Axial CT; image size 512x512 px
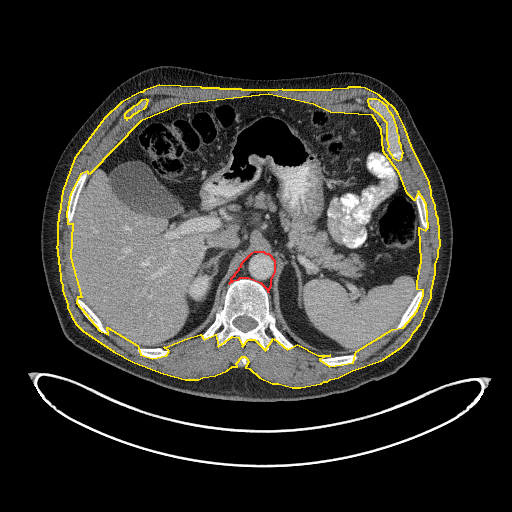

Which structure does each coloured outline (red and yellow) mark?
red: mediastinum; yellow: muscle.
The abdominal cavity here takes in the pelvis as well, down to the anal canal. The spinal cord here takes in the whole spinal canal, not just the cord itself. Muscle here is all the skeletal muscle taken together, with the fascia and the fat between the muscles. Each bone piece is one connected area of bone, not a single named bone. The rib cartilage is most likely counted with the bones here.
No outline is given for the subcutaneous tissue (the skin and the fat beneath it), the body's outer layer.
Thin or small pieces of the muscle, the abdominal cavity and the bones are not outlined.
The mediastinum is outlined by (268, 292) (268, 290) (271, 285) (271, 280) (275, 271) (275, 261) (269, 254) (266, 254) (264, 252) (254, 252) (250, 254) (242, 262) (240, 265) (240, 267) (238, 268) (238, 270) (230, 279) (229, 283) (233, 280) (238, 279) (240, 277) (248, 277) (260, 282) (266, 288). The muscle is outlined by (292, 387) (300, 387) (321, 383) (324, 381) (327, 381) (330, 379) (338, 377) (352, 370) (381, 360) (401, 347) (410, 338) (414, 331) (420, 324) (424, 316) (424, 313) (431, 297) (431, 291) (435, 273) (435, 264) (438, 256) (438, 250) (440, 245) (438, 218) (436, 215) (435, 205) (431, 195) (431, 190) (428, 179) (412, 148) (404, 126) (398, 114) (394, 108) (379, 95) (365, 88) (360, 87) (348, 87) (347, 88) (331, 89) (330, 90) (283, 90) (282, 89) (277, 90) (242, 90) (241, 89) (220, 89) (219, 88) (202, 88) (201, 87) (159, 85) (144, 90) (142, 92) (140, 92) (121, 102) (104, 118) (74, 158) (62, 191) (59, 213) (58, 214) (58, 221) (57, 222) (57, 244) (56, 247) (57, 248) (57, 255) (58, 256) (58, 263) (59, 264) (60, 280) (62, 285) (62, 290) (67, 304) (67, 307) (71, 316) (76, 324) (82, 330) (113, 351) (134, 362) (163, 373) (185, 379) (198, 379) (202, 377) (215, 375) (227, 370) (232, 366) (237, 366) (236, 363) (242, 356) (244, 356) (247, 359) (248, 362) (245, 367) (249, 368) (259, 377) (272, 383) (278, 383); inner edges: (329, 366) (353, 362) (356, 351) (392, 329) (403, 327) (417, 310) (423, 295) (423, 290) (417, 289) (417, 282) (421, 261) (419, 227) (425, 230) (428, 227) (426, 204) (418, 191) (414, 200) (407, 193) (399, 173) (383, 151) (381, 129) (372, 115) (330, 112) (313, 104) (268, 94) (181, 104) (140, 121) (89, 174) (87, 171) (80, 174) (70, 193) (66, 213) (67, 223) (72, 223) (70, 257) (81, 297) (77, 297) (76, 302) (99, 330) (108, 334) (107, 327) (137, 345) (140, 354) (152, 358) (166, 355) (169, 351) (164, 347) (187, 338) (200, 334) (204, 339) (215, 334) (218, 346) (232, 336) (238, 337) (242, 346) (248, 339) (254, 339) (265, 350) (273, 338) (287, 349) (297, 344) (318, 355) (330, 355) (319, 359), then (398, 160) (401, 159) (403, 152) (401, 148) (401, 145) (399, 142) (399, 136) (397, 132) (397, 128) (393, 116) (389, 111) (387, 106) (379, 100) (376, 99) (368, 99) (367, 100) (368, 105) (379, 114) (386, 122) (386, 139) (388, 146) (387, 149) (391, 154) (392, 157), then (126, 119) (127, 119) (127, 118) (128, 117) (130, 117) (134, 113) (135, 113) (136, 112) (137, 112) (139, 110) (144, 108) (146, 106) (148, 100) (147, 100) (146, 99) (141, 100) (136, 105) (133, 106) (129, 110) (128, 110) (124, 114) (124, 117) (125, 117) (126, 118). The abdominal cavity is outlined by (331, 356) (355, 353) (381, 339) (417, 290) (416, 206) (383, 151) (373, 116) (252, 94) (173, 106) (136, 124) (89, 174) (72, 221) (74, 279) (103, 324) (145, 347) (166, 347) (198, 335) (213, 321) (241, 262) (264, 251) (276, 261) (269, 297) (277, 328) (293, 343). The bones appear in 9 outlined pieces: piece 1: (265, 350) (269, 348) (273, 338) (284, 348) (292, 349) (294, 345) (276, 328) (265, 288) (254, 280) (240, 278) (229, 284) (222, 307) (216, 312) (214, 321) (201, 334) (201, 338) (215, 334) (218, 346) (225, 344) (232, 336) (238, 337) (242, 346) (248, 339) (254, 339), around a hole outlined by (242, 331) (247, 331) (248, 330) (249, 330) (250, 329) (255, 327) (257, 324) (256, 321) (255, 321) (252, 318) (251, 318) (250, 317) (248, 317) (247, 316) (240, 316) (239, 317) (237, 317) (233, 321) (233, 323) (234, 324) (234, 325) (236, 327) (237, 327); piece 2: (398, 160) (401, 159) (403, 152) (401, 148) (401, 145) (399, 142) (399, 136) (397, 132) (397, 128) (393, 116) (389, 111) (387, 106) (379, 100) (376, 99) (368, 99) (367, 100) (368, 105) (378, 114) (379, 114) (386, 122) (386, 139) (387, 140) (388, 149) (392, 157); piece 3: (68, 224) (71, 222) (73, 218) (73, 214) (75, 210) (75, 206) (77, 203) (77, 200) (78, 199) (80, 191) (88, 175) (88, 172) (87, 171) (83, 171) (80, 174) (76, 180) (70, 193) (69, 199) (68, 200) (68, 205) (67, 206) (67, 212) (66, 213) (66, 221); piece 4: (393, 331) (396, 331) (400, 328) (403, 327) (409, 321) (409, 320) (415, 313) (421, 302) (421, 300) (422, 299) (422, 296) (423, 295) (423, 290) (420, 289) (417, 291) (414, 297) (412, 299) (412, 301) (410, 303) (407, 309) (403, 314) (399, 322) (394, 328); piece 5: (105, 334) (108, 334) (108, 332) (102, 324) (99, 318) (97, 317) (97, 316) (91, 310) (91, 309) (80, 298) (77, 297) (76, 298) (76, 302) (78, 306) (80, 308) (81, 311) (86, 317) (86, 318) (93, 325) (94, 325) (99, 330) (100, 330) (103, 333); piece 6: (329, 366) (338, 366) (339, 365) (344, 365) (345, 364) (348, 364) (349, 363) (351, 363) (355, 360) (356, 360) (357, 356) (355, 354) (348, 354) (347, 355) (341, 355) (340, 356) (332, 356) (331, 357) (320, 358) (319, 359) (319, 361) (321, 363) (325, 365) (328, 365); piece 7: (425, 230) (426, 230) (428, 227) (428, 216) (427, 215) (427, 208) (426, 207) (426, 204) (425, 203) (425, 201) (424, 200) (423, 196) (418, 191) (417, 191) (415, 193) (415, 202) (417, 206) (417, 210) (418, 211) (418, 214) (419, 215) (419, 219) (420, 220) (420, 225); piece 8: (152, 358) (159, 358) (160, 357) (162, 357) (163, 356) (166, 355) (169, 352) (169, 351) (167, 349) (164, 349) (163, 348) (145, 348) (144, 347) (139, 347) (138, 348) (137, 348) (137, 351) (140, 354) (141, 354) (144, 356) (146, 356) (147, 357) (151, 357); piece 9: (126, 119) (127, 119) (127, 118) (128, 117) (130, 117) (134, 113) (135, 113) (136, 112) (137, 112) (139, 110) (144, 108) (146, 106) (148, 100) (147, 100) (146, 99) (141, 100) (136, 105) (133, 106) (129, 110) (128, 110) (124, 114) (124, 117) (125, 117) (126, 118). The spinal cord is outlined by (242, 331) (247, 331) (248, 330) (249, 330) (250, 329) (255, 327) (257, 324) (256, 321) (255, 321) (252, 318) (251, 318) (250, 317) (248, 317) (247, 316) (240, 316) (239, 317) (237, 317) (233, 321) (233, 323) (234, 324) (234, 325) (236, 327) (237, 327). The torso is outlined by (262, 402) (345, 392) (395, 373) (416, 352) (440, 309) (451, 265) (453, 228) (442, 176) (404, 101) (370, 75) (333, 72) (253, 79) (172, 65) (147, 68) (123, 81) (99, 104) (69, 140) (52, 172) (40, 243) (44, 275) (59, 324) (75, 346) (158, 385) (203, 397).